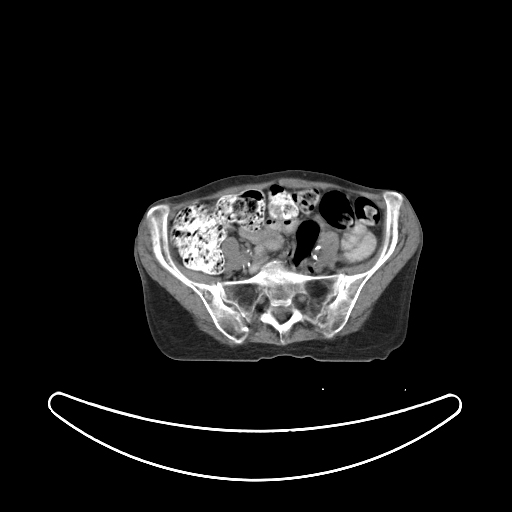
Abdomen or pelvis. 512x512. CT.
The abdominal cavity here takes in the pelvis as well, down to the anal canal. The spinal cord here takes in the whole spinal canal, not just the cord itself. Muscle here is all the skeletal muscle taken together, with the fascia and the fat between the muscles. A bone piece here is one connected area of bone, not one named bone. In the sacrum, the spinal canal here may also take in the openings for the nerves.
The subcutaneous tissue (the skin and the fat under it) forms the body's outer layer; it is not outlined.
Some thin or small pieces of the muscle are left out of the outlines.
The muscle appears in 7 outlined pieces: piece 1: 404,200 416,220 419,242 358,330 333,339 305,340 286,345 259,342 240,344 246,339 250,331 248,323 257,311 258,320 270,325 280,338 296,323 304,321 316,325 326,338 340,332 348,322 364,285 396,248; piece 2: 144,219 146,221 146,225 149,233 151,251 158,263 171,275 184,285 190,288 199,297 216,329 227,339 239,345 230,346 221,343 198,328 194,322 192,315 170,293 151,278 141,262 137,248 138,235 141,224; piece 3: 282,177 300,178 311,181 328,182 347,188 371,193 383,192 382,198 385,204 385,215 381,208 373,200 362,194 350,193 345,190 337,188 324,189 318,187 288,187 281,183 276,182 263,188 250,187 234,193 224,193 212,199 203,199 199,202 189,204 179,209 169,221 168,219 170,206 166,202 179,203 188,199 206,196 230,186 249,183 260,183; piece 4: 323,232 333,232 335,233 337,235 337,237 339,241 338,242 338,247 337,248 337,254 339,258 334,263 333,268 331,268 327,265 324,264 320,259 320,254 319,253 320,252 321,246 318,244 318,240 321,234; piece 5: 228,237 232,237 238,242 239,244 239,252 243,256 244,260 238,269 234,269 231,271 224,272 224,269 225,268 225,255 224,254 224,252 221,248 221,245 222,244 222,242 223,242 224,240 225,240 226,238; piece 6: 176,263 181,265 187,270 193,271 194,272 200,272 201,273 203,273 206,275 209,275 210,276 220,277 224,280 218,280 216,282 207,283 206,282 202,282 201,281 197,281 196,280 191,279 188,277 178,267; piece 7: 381,247 380,249 380,252 377,259 368,269 361,272 356,272 351,274 348,274 343,272 335,272 335,270 336,269 339,269 344,267 356,266 357,265 359,265 360,264 364,264 368,262 376,255. The spinal cord appears in 3 outlined pieces: piece 1: 278,309 284,309 285,310 287,310 289,312 289,315 288,316 288,317 287,318 287,319 286,320 285,320 283,322 280,322 275,317 275,316 273,314 273,312 274,311 275,311 276,310 277,310; piece 2: 297,295 303,295 304,296 305,296 305,297 306,298 306,305 305,306 305,307 304,307 303,308 300,308 299,307 298,307 296,305 295,305 295,304 294,303 294,298 295,297 295,296 296,296; piece 3: 262,296 264,296 265,297 266,297 266,298 267,299 267,304 266,305 266,307 264,310 263,310 262,311 259,311 258,310 257,310 257,309 256,308 256,305 257,304 257,303 258,302 260,297 261,297. The abdominal cavity is outlined by 276,183 288,188 337,189 373,201 383,212 384,222 381,246 371,259 336,268 335,273 306,274 272,258 253,275 240,279 224,279 190,270 175,261 169,244 169,222 179,210 224,194 250,188 263,189; inner edge: 323,232 333,232 335,233 337,235 337,237 339,241 338,242 338,247 337,248 337,254 339,258 334,263 333,268 331,268 327,265 324,264 320,259 320,254 319,253 320,252 321,246 318,244 318,240 321,234. The bones are outlined by 385,191 404,198 397,243 332,337 306,320 280,337 258,318 268,304 262,295 245,339 233,342 200,297 156,259 145,218 152,206 169,206 171,256 197,282 246,279 272,259 306,275 351,275 368,270 380,255, around holes outlined by 278,309 284,309 285,310 287,310 289,312 289,315 288,316 288,317 287,318 287,319 286,320 285,320 283,322 280,322 275,317 275,316 273,314 273,312 274,311 275,311 276,310 277,310 and by 297,295 303,295 304,296 305,296 305,297 306,298 306,305 305,306 305,307 304,307 303,308 300,308 299,307 298,307 296,305 295,305 295,304 294,303 294,298 295,297 295,296 296,296. The torso is outlined by 289,168 330,173 370,187 392,188 404,193 410,201 421,224 423,246 413,283 404,342 386,359 366,363 323,362 291,356 264,358 256,362 177,361 167,357 151,337 133,255 134,237 142,214 159,198 215,179.